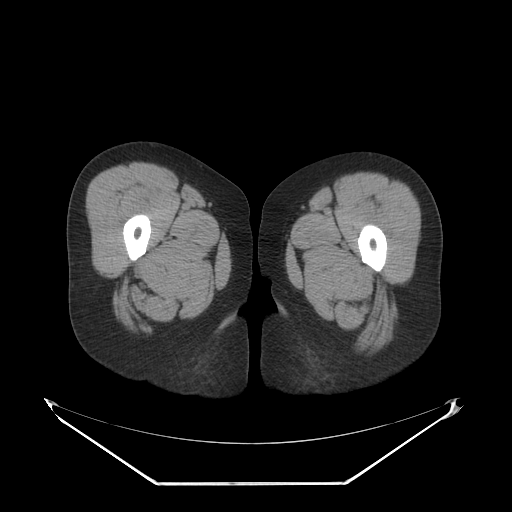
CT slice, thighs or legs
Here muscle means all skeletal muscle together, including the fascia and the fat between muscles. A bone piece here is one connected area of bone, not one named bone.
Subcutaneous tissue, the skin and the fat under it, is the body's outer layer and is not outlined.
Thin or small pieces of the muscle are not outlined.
{"left_leg":[[[354,150],[377,151],[402,160],[420,174],[432,192],[443,231],[442,309],[436,335],[415,363],[377,385],[339,395],[290,396],[269,391],[259,369],[260,333],[264,314],[276,306],[270,283],[260,276],[257,259],[263,202],[280,181],[300,167],[326,156]]],"bones":[[[366,224],[374,224],[376,225],[383,231],[386,237],[386,241],[387,242],[386,259],[385,260],[385,263],[380,271],[376,271],[374,270],[370,266],[364,263],[361,259],[361,256],[360,255],[358,245],[357,244],[357,238],[359,235],[360,230],[362,227]],[[139,213],[142,213],[148,216],[150,220],[151,233],[145,253],[140,256],[136,260],[133,261],[129,258],[127,254],[124,244],[124,241],[123,240],[122,230],[123,229],[123,225],[126,220],[134,214],[138,214]]],"right_leg":[[[134,140],[166,143],[193,155],[235,183],[247,197],[253,241],[253,277],[241,312],[248,325],[250,359],[247,386],[239,396],[217,400],[182,396],[145,382],[125,379],[88,356],[73,333],[67,301],[66,214],[70,193],[80,170],[93,156],[113,145]]],"muscle":[{"outer":[[130,160],[149,160],[167,166],[201,192],[213,205],[219,223],[226,230],[232,257],[230,276],[219,302],[198,318],[173,325],[149,336],[127,335],[115,320],[110,305],[110,286],[99,277],[91,263],[91,236],[85,212],[85,195],[91,179],[103,169]],"hole":[[139,213],[142,213],[148,216],[150,220],[151,233],[145,253],[140,256],[136,260],[133,261],[129,258],[127,254],[124,244],[124,241],[123,240],[122,230],[123,229],[123,225],[126,220],[134,214],[138,214]]},{"outer":[[360,170],[390,174],[408,184],[418,200],[421,211],[421,238],[417,248],[414,272],[407,285],[395,292],[400,324],[394,340],[383,352],[371,359],[363,359],[354,355],[295,291],[284,271],[280,251],[286,221],[294,205],[312,195],[326,181]],"hole":[[366,224],[374,224],[376,225],[383,231],[386,237],[386,241],[387,242],[386,259],[385,260],[385,263],[380,271],[376,271],[374,270],[370,266],[364,263],[361,259],[361,256],[360,255],[358,245],[357,244],[357,238],[359,235],[360,230],[362,227]]}]}